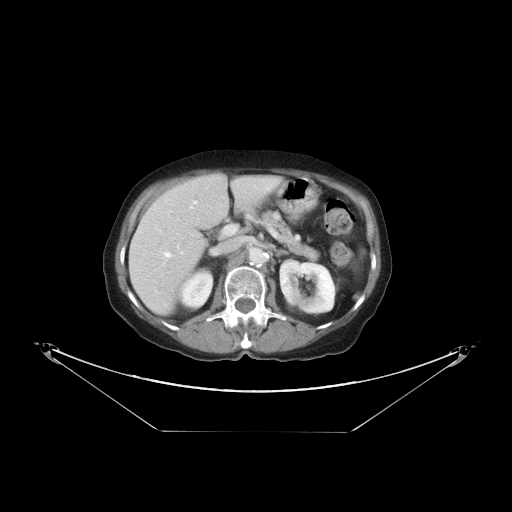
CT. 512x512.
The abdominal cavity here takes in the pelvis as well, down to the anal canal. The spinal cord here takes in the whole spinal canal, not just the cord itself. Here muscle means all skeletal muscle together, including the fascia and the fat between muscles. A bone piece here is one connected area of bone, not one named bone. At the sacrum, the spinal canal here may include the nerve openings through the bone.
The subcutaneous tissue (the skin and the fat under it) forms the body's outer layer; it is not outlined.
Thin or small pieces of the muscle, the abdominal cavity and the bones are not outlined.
{"abdominal_cavity":[[[247,171],[309,178],[341,192],[358,208],[365,220],[369,269],[354,303],[339,317],[314,325],[283,313],[275,281],[269,277],[266,282],[263,273],[249,264],[228,269],[209,307],[179,323],[152,314],[130,288],[127,245],[155,199],[196,176]]],"muscle":[{"outer":[[238,167],[291,168],[292,169],[299,169],[300,170],[304,170],[305,171],[309,171],[310,172],[322,174],[331,177],[336,181],[349,185],[361,192],[365,195],[369,200],[373,209],[376,218],[378,231],[379,232],[379,238],[380,239],[380,256],[381,257],[381,269],[379,276],[376,281],[375,286],[371,294],[365,301],[357,314],[348,323],[325,334],[317,340],[305,346],[291,350],[288,350],[287,351],[283,351],[282,352],[279,352],[278,351],[271,353],[258,352],[249,348],[251,347],[252,342],[249,339],[248,332],[246,330],[242,334],[242,338],[239,343],[239,345],[241,348],[238,350],[229,353],[212,353],[211,352],[205,352],[197,349],[194,349],[180,343],[168,334],[161,331],[156,327],[151,325],[146,321],[140,318],[131,308],[129,300],[121,291],[119,287],[117,280],[117,274],[115,271],[115,266],[114,265],[115,263],[115,250],[119,239],[121,226],[124,220],[124,218],[130,206],[138,195],[148,185],[157,180],[176,176],[183,172],[186,172],[190,170],[202,169],[203,168],[237,168]],"holes":[[[247,171],[318,181],[347,196],[365,220],[364,202],[373,228],[367,240],[369,251],[375,254],[375,268],[367,272],[357,295],[364,294],[364,300],[356,309],[348,309],[320,329],[290,315],[284,320],[271,317],[264,327],[252,319],[245,326],[240,321],[226,327],[219,317],[206,321],[226,305],[222,275],[209,307],[174,323],[178,330],[167,327],[160,317],[130,300],[126,264],[121,264],[120,252],[155,199],[196,176]],[[151,191],[153,191],[153,192],[151,194],[151,195],[148,197],[148,198],[140,207],[138,211],[137,216],[134,220],[133,225],[130,230],[129,229],[129,220],[130,219],[131,214],[134,209],[134,207],[136,203],[143,196],[144,196],[148,192],[150,192]]]},[[269,278],[272,279],[275,283],[275,299],[276,300],[276,303],[279,307],[281,312],[276,312],[275,311],[273,311],[271,308],[266,306],[266,305],[265,304],[265,298],[266,297],[266,293],[268,290],[268,286],[269,285],[267,282],[267,280]]],"spinal_cord":[[[240,298],[248,298],[249,299],[251,299],[254,302],[254,307],[251,310],[250,310],[249,311],[248,311],[247,312],[242,312],[241,311],[240,311],[239,310],[238,310],[236,308],[236,307],[235,306],[235,303],[236,302],[236,301],[238,299],[239,299]]],"torso":[[[220,147],[280,148],[301,152],[348,171],[364,181],[374,192],[386,224],[392,273],[375,314],[348,350],[309,361],[258,360],[246,354],[234,361],[196,361],[141,338],[110,306],[104,285],[102,251],[117,212],[130,189],[147,173],[163,164],[198,151]]],"bones":[{"outer":[[241,265],[249,265],[262,273],[267,286],[264,298],[265,306],[273,312],[285,315],[286,319],[271,317],[264,327],[256,324],[252,319],[245,326],[240,321],[232,327],[226,327],[219,317],[206,321],[207,317],[225,307],[224,280],[226,274],[228,270]],"hole":[[240,298],[248,298],[249,299],[251,299],[254,302],[254,307],[251,310],[250,310],[249,311],[248,311],[247,312],[242,312],[241,311],[240,311],[239,310],[238,310],[236,308],[236,307],[235,306],[235,303],[236,302],[236,301],[238,299],[239,299]]},[[151,191],[153,191],[153,192],[151,194],[151,195],[148,197],[148,198],[140,207],[138,211],[137,216],[134,220],[133,225],[130,230],[129,229],[129,220],[130,219],[131,214],[134,209],[134,207],[136,203],[143,196],[144,196],[148,192],[150,192]],[[362,201],[364,202],[367,208],[367,210],[369,213],[369,217],[372,223],[372,227],[373,228],[373,233],[370,239],[368,238],[368,236],[367,235],[367,227],[366,226],[366,216],[365,215],[364,210],[361,204],[361,202]],[[246,331],[247,332],[247,336],[248,337],[248,339],[251,342],[251,345],[250,346],[250,347],[249,347],[248,348],[242,348],[241,347],[241,346],[240,345],[240,343],[241,342],[241,341],[242,340],[242,339],[243,338],[243,334]],[[129,289],[130,289],[131,290],[131,291],[133,293],[133,294],[135,296],[135,297],[136,298],[136,299],[138,301],[138,302],[140,304],[140,308],[139,308],[138,307],[137,307],[130,300],[130,299],[128,297],[128,296],[127,295],[127,291]],[[361,294],[364,294],[364,295],[365,296],[364,297],[364,300],[362,302],[362,303],[356,309],[355,309],[354,310],[351,310],[351,309],[352,308],[352,307],[353,306],[353,305],[355,303],[355,302],[358,299],[358,298],[361,295]],[[162,320],[164,320],[165,321],[166,321],[168,323],[170,323],[171,324],[173,324],[174,325],[176,325],[179,328],[179,329],[178,330],[173,330],[172,329],[171,329],[170,328],[169,328],[168,327],[167,327],[165,325],[164,325],[162,323]]]}